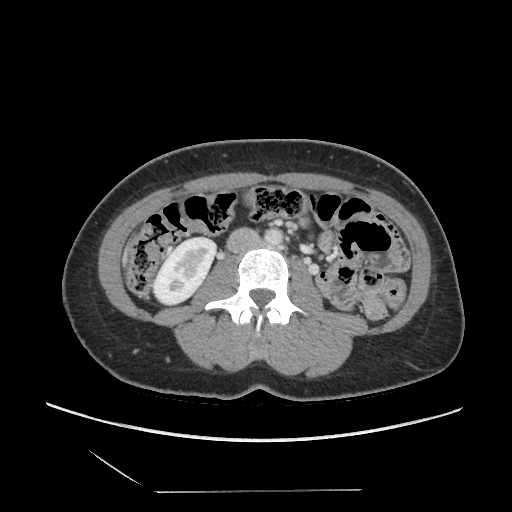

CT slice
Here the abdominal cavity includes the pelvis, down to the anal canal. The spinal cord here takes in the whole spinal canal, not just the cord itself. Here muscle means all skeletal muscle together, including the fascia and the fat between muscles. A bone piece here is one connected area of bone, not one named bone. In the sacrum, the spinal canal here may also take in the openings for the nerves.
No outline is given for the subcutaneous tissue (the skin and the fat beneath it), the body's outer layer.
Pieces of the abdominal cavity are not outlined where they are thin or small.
The muscle is outlined by [[248,171],[262,174],[315,172],[338,177],[382,191],[395,198],[411,212],[422,224],[426,233],[431,253],[432,268],[427,297],[409,322],[395,331],[356,337],[350,356],[333,372],[321,377],[299,377],[277,371],[262,361],[253,362],[235,371],[215,370],[198,366],[188,359],[176,342],[173,334],[166,327],[134,319],[114,307],[100,284],[97,271],[97,260],[99,246],[103,236],[115,217],[127,206],[157,189],[210,174]]; inner edge: [[267,181],[355,195],[397,224],[412,265],[389,319],[370,326],[326,309],[295,257],[288,296],[307,314],[265,317],[259,333],[254,317],[236,324],[225,309],[204,308],[237,290],[228,257],[187,304],[153,313],[133,301],[121,258],[146,217],[181,195]]. The torso is outlined by [[260,138],[313,139],[351,146],[392,164],[419,188],[446,235],[463,302],[463,340],[445,369],[407,386],[345,399],[296,401],[262,389],[220,399],[162,393],[126,383],[88,354],[65,314],[61,284],[69,250],[95,206],[126,175],[159,155],[203,142]]. The abdominal cavity is outlined by [[267,181],[355,195],[397,224],[412,265],[408,293],[389,319],[370,326],[360,315],[326,309],[303,262],[295,257],[289,266],[269,247],[247,250],[237,268],[228,257],[218,260],[187,304],[153,313],[133,301],[121,258],[129,235],[146,217],[181,195]]. The bones are outlined by [[257,248],[269,248],[284,257],[289,272],[288,296],[307,313],[304,315],[297,311],[293,312],[286,324],[271,324],[265,317],[259,333],[255,332],[254,317],[248,323],[236,324],[225,309],[204,308],[209,301],[224,299],[236,292],[239,262],[247,251]]; inner edge: [[254,289],[267,289],[268,290],[270,290],[271,291],[272,291],[274,293],[274,297],[273,298],[272,298],[266,304],[265,304],[261,308],[253,300],[253,299],[250,296],[250,291],[251,290],[253,290]]. The spinal cord is outlined by [[254,289],[267,289],[268,290],[270,290],[271,291],[272,291],[274,293],[274,297],[273,298],[272,298],[266,304],[265,304],[261,308],[253,300],[253,299],[250,296],[250,291],[251,290],[253,290]].